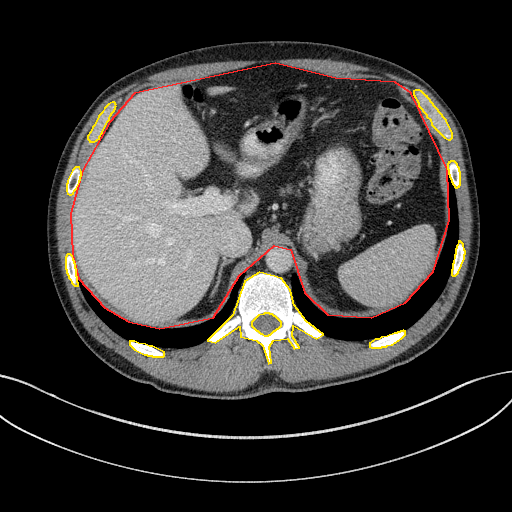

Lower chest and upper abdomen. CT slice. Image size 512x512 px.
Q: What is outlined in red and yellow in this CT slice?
A: red: abdominal cavity; yellow: bones.
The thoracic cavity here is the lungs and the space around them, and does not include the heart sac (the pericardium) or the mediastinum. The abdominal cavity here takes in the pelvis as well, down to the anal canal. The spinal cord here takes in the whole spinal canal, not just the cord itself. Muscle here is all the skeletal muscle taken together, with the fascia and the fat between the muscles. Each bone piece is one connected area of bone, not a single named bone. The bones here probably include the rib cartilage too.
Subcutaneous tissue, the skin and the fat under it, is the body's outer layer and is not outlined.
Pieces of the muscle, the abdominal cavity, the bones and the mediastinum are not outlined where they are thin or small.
{"abdominal_cavity":[[[159,328],[213,317],[239,275],[274,245],[290,249],[304,292],[327,314],[371,317],[405,302],[433,271],[449,220],[447,169],[411,93],[395,82],[335,78],[275,63],[134,93],[109,122],[82,170],[70,213],[72,255],[78,278],[104,307],[128,321]]],"bones":[{"outer":[[268,363],[271,362],[269,346],[273,340],[287,338],[294,348],[299,347],[292,336],[293,325],[316,338],[323,334],[306,321],[294,305],[290,290],[281,278],[259,272],[244,281],[232,315],[207,340],[215,342],[239,326],[240,336],[256,340],[262,345]],"hole":[[264,335],[268,335],[269,334],[270,334],[274,330],[275,330],[277,328],[278,328],[281,325],[281,322],[275,316],[274,316],[272,314],[270,314],[269,313],[264,313],[263,314],[258,315],[251,322],[251,325],[256,330],[257,330],[260,333],[261,333]]},[[448,139],[450,139],[452,137],[452,133],[446,120],[438,111],[438,110],[433,105],[433,104],[427,97],[427,96],[426,96],[421,91],[419,90],[415,90],[413,91],[413,94],[418,102],[418,105],[426,114],[426,116],[430,119],[431,124],[444,137]],[[89,141],[94,141],[99,138],[99,136],[102,132],[107,121],[109,119],[109,117],[110,115],[115,108],[115,106],[116,105],[114,102],[112,102],[108,104],[104,108],[102,112],[98,116],[94,125],[92,127],[90,132],[87,136],[87,138],[89,140]],[[371,347],[381,347],[382,346],[386,346],[387,345],[392,344],[401,338],[405,334],[405,331],[403,330],[402,331],[400,331],[399,332],[397,332],[396,333],[394,333],[387,336],[381,337],[378,339],[375,339],[369,343],[369,346]],[[452,275],[455,275],[458,272],[464,258],[464,254],[465,253],[465,251],[464,250],[463,244],[460,241],[458,241],[457,245],[456,246],[456,248],[455,249],[455,254],[454,255],[453,263],[452,264],[452,269],[451,270],[451,274]],[[152,356],[163,356],[164,355],[164,352],[152,346],[149,346],[145,344],[138,343],[134,341],[129,341],[129,344],[134,349],[144,354],[146,354],[147,355],[151,355]],[[69,194],[71,194],[73,193],[74,190],[76,188],[79,182],[79,180],[80,179],[80,176],[81,175],[81,171],[79,167],[75,167],[72,170],[67,180],[67,183],[66,184],[66,191],[67,193]],[[74,285],[78,285],[78,283],[77,282],[77,277],[76,276],[76,269],[75,268],[75,264],[74,263],[74,261],[73,260],[73,258],[72,256],[70,254],[67,254],[65,257],[65,268],[66,269],[66,272],[68,275],[68,277],[70,279],[71,282]],[[455,187],[457,187],[458,186],[459,186],[459,185],[460,184],[460,172],[459,171],[459,168],[458,167],[457,164],[454,161],[450,161],[449,162],[448,162],[448,163],[447,164],[447,168],[448,169],[448,173],[449,174],[449,176],[451,179],[451,181]]],"mediastinum":[[[290,289],[290,278],[293,273],[293,256],[291,254],[291,252],[289,251],[289,249],[286,248],[285,246],[274,246],[270,248],[263,256],[252,264],[248,271],[245,274],[245,276],[243,279],[243,282],[250,275],[259,271],[271,272],[281,277],[287,283]]],"torso":[[[216,399],[307,391],[373,376],[428,350],[459,313],[480,245],[471,156],[451,108],[409,69],[362,51],[313,41],[258,40],[205,46],[154,61],[115,80],[93,100],[68,137],[54,172],[46,219],[50,273],[68,320],[84,344],[122,375],[161,391]]],"spinal_cord":[[[264,335],[268,335],[269,334],[270,334],[274,330],[275,330],[277,328],[278,328],[281,325],[281,322],[275,316],[274,316],[272,314],[270,314],[269,313],[264,313],[263,314],[258,315],[251,322],[251,325],[256,330],[257,330],[260,333],[261,333]]],"thoracic_cavity":[[[347,340],[378,338],[405,329],[417,320],[439,295],[450,273],[458,238],[456,199],[454,187],[448,175],[450,220],[440,258],[422,287],[398,308],[371,318],[336,318],[318,310],[303,292],[296,275],[292,275],[291,292],[294,303],[307,321],[325,335]],[[156,347],[186,347],[194,345],[205,340],[215,332],[229,317],[235,306],[237,293],[244,274],[240,275],[236,281],[230,297],[222,310],[213,318],[199,325],[175,329],[141,326],[112,314],[89,293],[78,279],[79,285],[91,307],[112,329],[129,340]]],"muscle":[{"outer":[[216,392],[229,392],[245,388],[253,384],[262,373],[272,370],[285,381],[298,382],[309,379],[319,380],[338,377],[379,365],[395,357],[420,340],[431,331],[445,317],[450,310],[459,291],[467,268],[470,251],[470,237],[472,230],[471,206],[466,179],[464,159],[462,154],[462,146],[457,129],[444,108],[432,94],[423,86],[412,80],[391,73],[378,71],[349,62],[334,61],[330,59],[297,58],[274,60],[263,59],[222,61],[170,68],[152,74],[141,80],[135,81],[109,95],[99,104],[90,116],[78,135],[73,146],[60,184],[56,203],[56,236],[58,254],[63,278],[75,312],[84,327],[95,339],[105,346],[111,348],[115,352],[150,375],[165,382],[179,386]],"hole":[[268,363],[273,340],[287,338],[294,348],[299,347],[292,336],[293,325],[316,338],[324,334],[347,340],[374,338],[371,347],[392,344],[433,303],[449,274],[458,272],[465,253],[457,240],[454,193],[460,172],[454,161],[446,168],[443,165],[439,143],[423,113],[444,137],[450,139],[452,133],[421,91],[412,95],[408,87],[395,82],[335,78],[262,63],[195,82],[148,86],[134,93],[107,125],[115,103],[108,104],[98,116],[87,136],[89,141],[98,139],[98,144],[84,169],[75,167],[66,184],[67,193],[74,194],[72,254],[65,257],[71,282],[80,286],[101,319],[144,354],[163,356],[158,347],[186,347],[206,339],[212,343],[239,326],[240,336],[262,345]]}]}